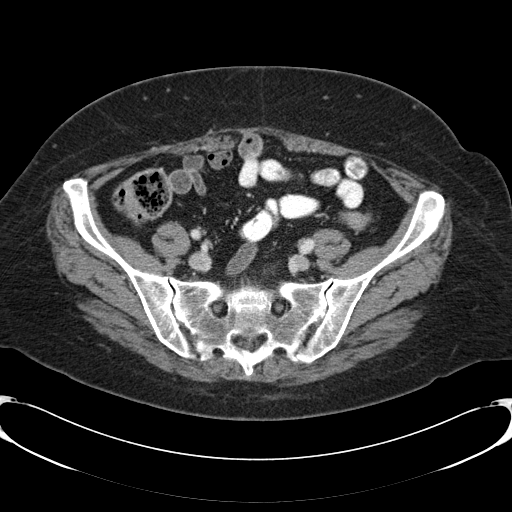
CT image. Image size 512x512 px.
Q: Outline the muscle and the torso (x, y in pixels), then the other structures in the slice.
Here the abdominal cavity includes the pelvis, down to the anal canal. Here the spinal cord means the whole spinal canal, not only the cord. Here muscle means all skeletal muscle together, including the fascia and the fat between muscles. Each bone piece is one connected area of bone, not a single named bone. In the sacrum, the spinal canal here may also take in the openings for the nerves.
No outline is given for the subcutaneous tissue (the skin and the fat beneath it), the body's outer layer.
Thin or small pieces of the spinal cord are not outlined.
A: Outlines:
muscle: [[259,125],[372,153],[437,184],[453,206],[451,248],[425,314],[395,347],[296,386],[194,381],[123,348],[78,315],[45,231],[52,193],[62,182],[75,230],[125,272],[158,341],[182,358],[201,362],[219,350],[247,377],[277,349],[293,363],[308,365],[334,349],[374,276],[435,233],[445,214],[444,196],[423,189],[404,233],[383,258],[358,275],[327,277],[317,263],[318,230],[338,230],[349,241],[337,266],[364,248],[383,245],[408,203],[362,155],[294,151],[277,136],[246,132],[236,143],[215,150],[146,156],[95,191],[105,227],[133,238],[152,255],[152,236],[161,224],[177,222],[187,233],[189,247],[170,275],[136,268],[98,228],[88,180],[70,177],[155,145]]
torso: [[234,65],[334,69],[386,82],[429,106],[465,148],[481,152],[494,162],[511,199],[511,359],[476,362],[413,392],[353,410],[307,418],[258,421],[194,416],[135,402],[77,382],[15,349],[0,347],[0,198],[42,143],[70,115],[114,89],[166,73]]
bones: [[76,177],[88,182],[100,233],[131,266],[228,289],[358,276],[400,241],[420,192],[439,192],[445,208],[435,232],[373,276],[334,348],[309,364],[293,362],[277,348],[247,376],[219,349],[201,361],[159,341],[126,272],[76,230],[62,189],[66,179]]; inner edges: [[237,337],[239,337],[241,339],[246,339],[247,340],[251,340],[254,338],[261,337],[262,338],[262,340],[260,342],[257,348],[251,351],[250,350],[248,350],[247,349],[245,349],[244,348],[241,348],[239,347],[237,345],[237,342],[236,341],[236,338]], then [[217,303],[221,303],[224,306],[224,308],[219,313],[216,313],[215,312],[214,312],[212,310],[212,307],[213,306],[213,305],[214,304],[216,304]], then [[275,303],[281,303],[282,304],[283,304],[284,305],[284,307],[283,308],[282,308],[281,309],[281,311],[280,312],[277,312],[274,309],[274,304]]
spinal cord: [[237,337],[239,337],[241,339],[246,339],[247,340],[251,340],[254,338],[261,337],[262,338],[262,340],[260,342],[257,348],[251,351],[250,350],[248,350],[247,349],[245,349],[244,348],[241,348],[239,347],[237,345],[237,342],[236,341],[236,338]]
abdominal cavity: [[258,132],[294,152],[366,158],[408,205],[383,244],[364,247],[337,265],[351,243],[338,229],[320,228],[313,234],[314,251],[327,278],[228,288],[171,275],[190,247],[177,221],[157,226],[154,254],[106,227],[96,191],[129,166],[160,153],[227,148]]